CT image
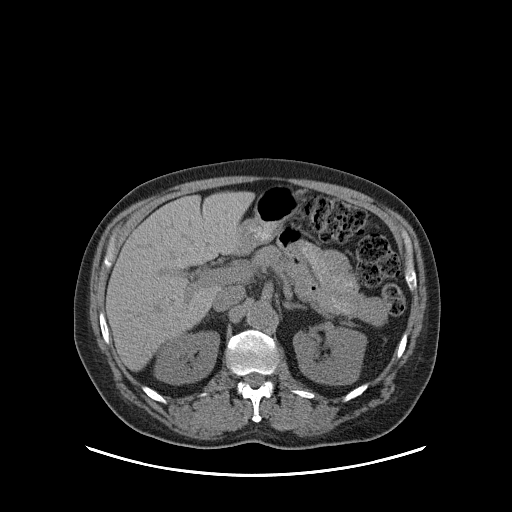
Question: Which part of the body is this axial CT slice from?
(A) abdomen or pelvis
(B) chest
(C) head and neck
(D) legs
Answer: (A) abdomen or pelvis
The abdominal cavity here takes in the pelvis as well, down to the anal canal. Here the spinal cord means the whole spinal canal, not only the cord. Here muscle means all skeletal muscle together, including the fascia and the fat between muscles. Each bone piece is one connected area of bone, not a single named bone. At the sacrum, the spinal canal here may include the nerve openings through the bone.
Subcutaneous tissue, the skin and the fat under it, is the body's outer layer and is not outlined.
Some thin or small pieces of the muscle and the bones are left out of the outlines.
{"torso":[[[253,157],[307,161],[370,180],[399,197],[416,215],[429,239],[441,302],[435,364],[410,413],[378,438],[295,450],[255,442],[213,449],[168,443],[124,423],[102,399],[79,358],[73,338],[74,290],[85,247],[104,215],[134,187],[157,176],[202,164]]],"bones":[{"outer":[[247,329],[258,330],[271,337],[279,350],[279,364],[269,376],[273,383],[273,392],[269,397],[263,396],[260,399],[258,411],[261,420],[258,422],[252,420],[253,405],[251,400],[237,392],[237,383],[240,378],[234,375],[226,365],[228,341],[232,336]],"hole":[[252,372],[255,372],[256,373],[261,374],[265,377],[265,380],[263,382],[263,383],[261,385],[260,385],[256,388],[253,388],[252,387],[251,387],[249,384],[246,383],[244,381],[244,379],[243,378],[244,377],[244,376],[245,376],[247,374],[249,374]]},[[402,228],[407,232],[411,241],[412,257],[413,258],[413,266],[415,270],[415,273],[416,274],[416,280],[417,281],[417,286],[416,288],[412,291],[411,291],[408,287],[408,285],[405,279],[405,245],[404,244],[404,240],[401,234],[401,229]],[[119,224],[120,224],[120,228],[117,234],[117,237],[116,238],[116,241],[115,242],[115,251],[113,254],[113,259],[110,264],[109,268],[107,268],[105,266],[104,266],[103,264],[103,259],[106,252],[106,248],[109,241],[110,235],[112,233],[112,231]],[[366,382],[367,382],[368,383],[368,386],[367,387],[367,388],[359,396],[357,396],[356,397],[355,397],[346,402],[344,402],[342,400],[343,397],[346,394],[347,394],[350,391],[351,391],[356,387],[357,387],[358,386],[359,386],[361,384],[363,384]],[[101,311],[102,311],[104,313],[104,315],[105,316],[105,320],[106,321],[107,327],[108,328],[108,332],[109,333],[109,337],[110,338],[110,342],[108,344],[107,344],[104,341],[104,339],[101,333],[101,329],[100,328],[100,323],[99,322],[99,314]],[[143,385],[145,385],[146,386],[147,386],[148,387],[153,389],[155,391],[156,391],[159,394],[160,394],[167,401],[166,404],[164,404],[161,402],[159,402],[156,400],[154,400],[153,399],[152,399],[149,396],[148,396],[142,389],[142,386]],[[404,332],[405,332],[407,334],[407,342],[406,343],[406,346],[405,347],[405,349],[404,350],[403,353],[401,355],[401,356],[399,358],[398,358],[397,357],[397,349],[398,348],[398,345],[399,344],[399,342],[401,339],[401,337],[402,336],[402,335]],[[292,389],[301,389],[302,390],[305,390],[306,391],[309,391],[310,392],[312,392],[314,394],[314,397],[313,398],[306,398],[305,397],[302,397],[301,396],[300,396],[299,395],[298,395],[297,394],[296,394],[295,393],[293,393],[291,391],[291,390]]],"muscle":[{"outer":[[233,175],[309,179],[359,191],[401,215],[418,239],[426,306],[416,345],[395,389],[386,402],[321,435],[300,437],[259,422],[261,399],[274,392],[270,376],[280,364],[278,345],[294,379],[327,398],[343,396],[346,403],[368,388],[396,349],[398,359],[404,353],[411,292],[418,286],[408,232],[400,229],[403,264],[389,226],[371,210],[336,195],[273,179],[184,193],[160,203],[141,219],[121,243],[110,268],[103,311],[98,314],[100,333],[144,393],[166,405],[163,396],[180,398],[200,392],[220,371],[225,349],[225,365],[239,378],[236,392],[250,400],[254,423],[212,440],[182,435],[121,396],[99,350],[89,318],[89,286],[94,255],[108,224],[133,203],[170,187]],"holes":[[[119,224],[120,224],[120,228],[117,234],[117,237],[116,238],[116,241],[115,242],[115,251],[113,254],[113,259],[110,264],[109,268],[107,268],[105,266],[104,266],[103,264],[103,259],[106,252],[106,248],[109,241],[110,235],[112,233],[112,231]],[[292,389],[301,389],[302,390],[305,390],[306,391],[309,391],[310,392],[312,392],[314,394],[314,397],[313,398],[306,398],[305,397],[302,397],[301,396],[300,396],[299,395],[298,395],[297,394],[296,394],[295,393],[293,393],[291,391],[291,390]]]}],"spinal_cord":[[[252,372],[255,372],[256,373],[261,374],[265,377],[265,380],[263,382],[263,383],[261,385],[260,385],[256,388],[253,388],[252,387],[251,387],[249,384],[246,383],[244,381],[244,379],[243,378],[244,377],[244,376],[245,376],[247,374],[249,374]]],"abdominal_cavity":[[[262,180],[336,196],[371,211],[388,226],[411,294],[397,347],[376,377],[344,395],[327,397],[293,377],[283,348],[271,336],[247,328],[229,338],[219,371],[200,391],[180,397],[162,395],[124,368],[111,342],[104,292],[118,251],[142,219],[170,199]]]}